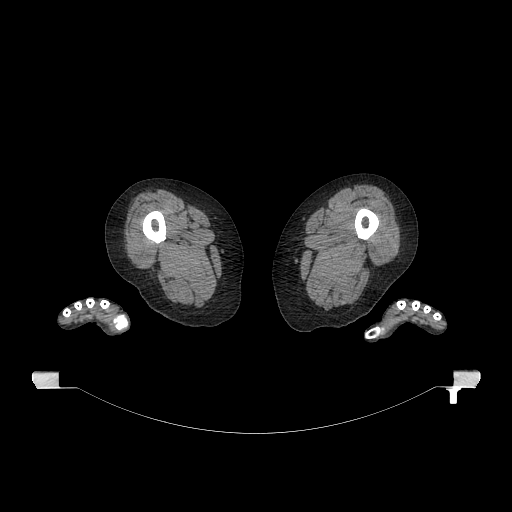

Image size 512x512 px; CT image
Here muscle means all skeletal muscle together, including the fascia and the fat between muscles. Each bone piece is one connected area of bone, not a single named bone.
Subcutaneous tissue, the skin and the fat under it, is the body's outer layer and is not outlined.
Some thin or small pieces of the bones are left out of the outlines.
The left leg is outlined by 359 172; 375 173; 386 177; 395 183; 408 197; 414 208; 418 222; 419 237; 415 256; 409 267; 366 315; 339 328; 321 327; 308 332; 297 331; 291 328; 283 319; 278 309; 272 285; 272 260; 280 234; 294 210; 313 191; 337 177. The muscle appears in 4 outlined pieces: piece 1: 355 184; 375 185; 388 196; 394 207; 396 220; 400 229; 400 247; 397 256; 391 262; 381 266; 371 277; 361 298; 351 309; 342 313; 326 313; 320 311; 308 298; 304 284; 300 278; 298 259; 302 233; 306 220; 314 211; 340 189; inner edge: 361 207; 366 207; 370 209; 377 215; 379 219; 379 224; 376 230; 374 232; 374 233; 368 239; 366 240; 361 239; 357 236; 356 234; 356 232; 355 231; 355 228; 354 227; 354 219; 355 218; 355 215; 358 209; piece 2: 158 188; 168 190; 202 210; 208 216; 215 233; 216 243; 222 263; 222 275; 217 284; 213 304; 203 312; 192 313; 180 310; 172 305; 164 297; 160 288; 136 268; 127 257; 124 246; 123 231; 130 203; 140 192; 146 190; 154 191, around a hole outlined by 152 210; 160 210; 162 212; 164 216; 164 219; 165 220; 165 223; 166 224; 166 237; 163 241; 159 243; 155 243; 153 241; 148 239; 145 236; 142 230; 142 220; 144 216; 148 212; piece 3: 406 302; 411 302; 410 305; 414 311; 418 310; 421 305; 425 314; 431 309; 433 310; 432 318; 435 321; 442 319; 443 327; 436 329; 407 318; 399 321; 386 332; 386 328; 382 324; 388 311; 393 305; 399 310; 403 310; 407 305; piece 4: 95 301; 99 301; 100 307; 104 310; 111 303; 118 308; 120 312; 112 319; 116 330; 110 330; 105 323; 95 318; 69 324; 61 323; 62 315; 65 318; 70 316; 71 307; 73 306; 78 311; 85 302; 86 306; 91 308. The right leg is outlined by 154 177; 173 178; 202 189; 214 197; 231 216; 241 239; 244 263; 241 278; 240 305; 235 314; 227 321; 212 327; 191 327; 171 321; 152 310; 141 297; 138 290; 124 280; 112 267; 104 241; 104 224; 109 209; 127 187; 137 181. The right arm is outlined by 92 297; 105 297; 108 299; 113 300; 121 305; 129 315; 131 323; 129 329; 119 335; 107 335; 93 322; 86 323; 77 328; 70 330; 62 329; 59 327; 56 321; 56 317; 59 311; 62 310; 69 303; 77 302; 82 298; 88 299. The left arm is outlined by 402 297; 412 298; 419 302; 424 302; 428 306; 437 308; 446 317; 446 330; 441 334; 434 335; 406 322; 402 324; 391 336; 384 339; 378 339; 375 342; 367 342; 364 339; 366 338; 365 330; 372 323; 381 318; 383 311; 392 301. The bones appear in 10 outlined pieces: piece 1: 152 210; 160 210; 162 212; 164 216; 164 219; 165 220; 165 223; 166 224; 166 237; 163 241; 159 243; 155 243; 153 241; 148 239; 145 236; 142 230; 142 220; 144 216; 148 212; piece 2: 361 207; 366 207; 370 209; 377 215; 379 219; 379 224; 376 230; 374 232; 374 233; 368 239; 366 240; 361 239; 357 236; 356 234; 356 232; 355 231; 355 228; 354 227; 354 219; 355 218; 355 215; 358 209; piece 3: 120 313; 121 313; 122 314; 124 314; 126 316; 126 317; 128 320; 128 326; 126 328; 125 328; 122 330; 117 330; 115 328; 115 327; 114 326; 114 324; 113 323; 113 319; 114 318; 114 317; 115 317; 118 314; 119 314; piece 4: 375 326; 383 326; 385 328; 385 333; 382 336; 380 336; 379 337; 377 337; 376 338; 366 338; 365 337; 365 332; 366 331; 367 331; 369 329; 370 329; 371 328; 372 328; 373 327; 374 327; piece 5: 399 300; 403 300; 405 302; 405 303; 406 304; 406 305; 405 306; 405 307; 403 309; 399 309; 397 307; 397 306; 396 305; 396 303; 397 302; 397 301; 398 301; piece 6: 104 299; 105 300; 107 300; 110 303; 109 304; 109 305; 108 306; 108 307; 107 308; 105 308; 104 309; 103 308; 102 308; 101 307; 101 306; 100 305; 100 301; 101 300; 103 300; piece 7: 415 300; 416 300; 417 301; 418 301; 419 302; 419 303; 420 304; 420 306; 418 308; 418 309; 417 309; 416 310; 414 310; 412 308; 412 306; 411 305; 411 304; 412 303; 412 302; 413 301; 414 301; piece 8: 64 308; 69 308; 70 309; 70 310; 71 311; 70 312; 70 314; 69 315; 69 316; 68 316; 67 317; 65 317; 62 314; 62 312; 63 311; 63 310; 64 309; piece 9: 89 298; 91 298; 92 299; 93 299; 94 300; 94 303; 93 304; 93 305; 91 307; 88 307; 87 306; 87 305; 86 304; 86 300; 87 299; 88 299; piece 10: 435 312; 436 312; 437 312; 438 312; 439 312; 440 313; 441 314; 441 315; 441 316; 441 317; 441 318; 440 319; 439 320; 438 320; 437 320; 436 320; 435 320; 434 319; 433 318; 433 317; 433 316; 433 315; 433 314; 434 313.